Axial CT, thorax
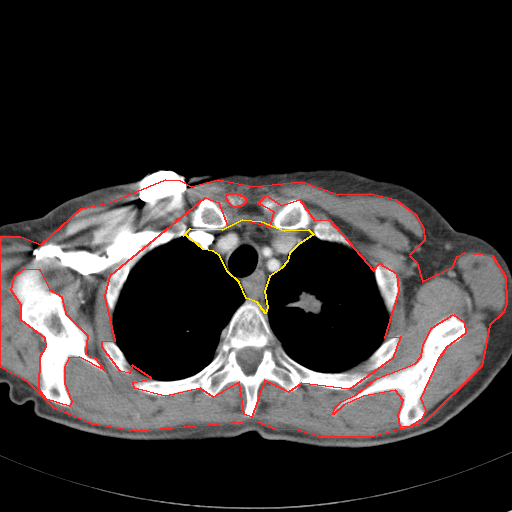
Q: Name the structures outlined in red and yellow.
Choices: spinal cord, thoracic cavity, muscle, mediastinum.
A: red: muscle; yellow: mediastinum.
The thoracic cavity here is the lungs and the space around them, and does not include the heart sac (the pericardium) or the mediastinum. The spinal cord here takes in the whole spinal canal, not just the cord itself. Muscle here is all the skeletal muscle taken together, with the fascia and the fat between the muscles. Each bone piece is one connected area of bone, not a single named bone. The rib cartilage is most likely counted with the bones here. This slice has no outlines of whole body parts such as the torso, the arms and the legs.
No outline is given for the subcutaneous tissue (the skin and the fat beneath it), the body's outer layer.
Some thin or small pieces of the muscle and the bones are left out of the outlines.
The muscle is outlined by 165,179 180,180 191,186 218,179 253,186 301,181 338,194 370,193 395,199 415,214 423,228 424,240 409,255 416,262 422,281 453,266 457,256 464,252 492,255 505,276 506,303 503,312 489,325 481,366 423,423 370,437 320,437 295,429 277,430 255,421 136,431 92,424 54,408 28,382 0,367 0,236 20,236 41,244 81,208 109,202; inner edges: 266,195 281,205 299,199 314,220 329,219 373,270 379,263 396,273 398,291 384,337 400,336 392,358 349,389 301,383 288,392 264,380 251,417 244,414 239,382 213,397 200,388 165,396 134,388 133,382 151,378 132,365 129,373 120,371 102,347 102,341 115,340 105,296 110,275 205,197 218,202 227,226 242,219 270,226 274,212 258,203, then 24,268 39,269 49,289 61,296 65,313 87,335 85,353 95,358 104,370 79,357 68,358 64,366 64,383 71,401 69,406 46,399 39,389 40,356 46,346 45,338 21,320 21,305 11,290 14,276, then 453,314 464,322 465,333 446,347 437,360 420,398 425,410 421,419 408,427 400,426 398,415 403,400 395,390 363,396 343,405 333,414 334,408 341,401 356,394 376,378 415,363 421,356 423,344 432,327, then 229,193 236,193 237,194 239,194 240,195 242,195 246,199 246,200 245,201 245,202 242,205 241,205 240,206 238,206 237,207 233,207 228,202 228,201 227,200 227,199 226,198 226,195 227,194 228,194. The mediastinum is outlined by 242,219 261,221 284,230 308,229 313,234 297,245 289,253 287,261 281,268 269,276 264,291 267,307 265,313 257,302 246,298 239,282 228,272 219,255 213,251 203,249 186,235 183,235 190,228 222,229. The bones appear in 7 outlined pieces: piece 1: 246,299 266,315 284,351 317,372 363,372 365,360 385,340 399,335 399,344 388,362 353,388 301,383 288,392 264,380 251,417 244,414 247,400 239,382 227,383 213,397 200,388 151,395 132,383 199,372 with a hole at 245,347 253,347 256,349 259,349 260,350 260,353 261,354 261,359 259,363 257,365 255,370 252,373 249,373 248,374 246,373 242,369 242,368 240,366 240,365 237,361 237,353 238,351; piece 2: 24,268 39,269 49,289 61,296 65,313 87,335 85,353 95,358 104,370 79,357 68,358 64,366 64,383 71,401 69,406 46,399 39,389 40,356 46,346 45,338 21,320 21,305 11,290 14,276; piece 3: 453,314 464,322 465,333 446,347 437,360 420,398 425,410 421,419 408,427 400,426 398,415 403,400 395,390 363,396 343,405 333,414 334,408 341,401 356,394 376,378 415,363 421,356 423,344 432,327; piece 4: 205,197 212,198 218,202 227,215 227,224 222,228 214,229 189,226 184,234 172,238 143,255 130,269 112,312 105,296 105,284 110,275 148,247 154,241 158,232 163,231 172,220 187,216; piece 5: 266,195 276,196 281,205 291,198 299,199 314,220 320,220 325,217 329,219 332,224 346,236 349,242 348,246 318,238 314,235 311,225 306,229 284,229 275,227 272,224 274,212 265,212 258,203 260,198; piece 6: 377,263 389,266 396,273 396,275 397,276 397,280 398,281 398,291 397,292 397,295 395,299 395,302 390,313 388,313 386,310 386,308 384,305 383,300 379,293 379,290 376,283 376,280 374,275 374,267; piece 7: 104,340 111,340 115,342 115,343 118,346 118,347 121,350 121,351 125,356 128,362 131,365 131,369 129,373 125,373 124,372 122,372 112,365 112,364 106,357 106,355 102,347 102,341. The thoracic cavity appears in 2 outlined pieces: piece 1: 181,236 186,236 203,250 213,252 219,256 227,272 238,282 243,290 245,299 222,329 220,333 221,340 208,364 189,376 179,379 161,380 149,377 129,362 115,341 113,328 114,312 130,271 137,262 155,248; piece 2: 312,236 322,241 340,244 354,250 369,265 373,270 378,293 388,314 387,331 384,340 364,360 344,371 317,371 293,359 276,338 266,314 268,307 265,299 265,291 270,276 282,268 288,261 290,253 297,246. The spinal cord is outlined by 245,347 253,347 256,349 259,349 260,350 260,353 261,354 261,359 259,363 257,365 255,370 252,373 249,373 248,374 246,373 242,369 242,368 240,366 240,365 237,361 237,353 238,351.